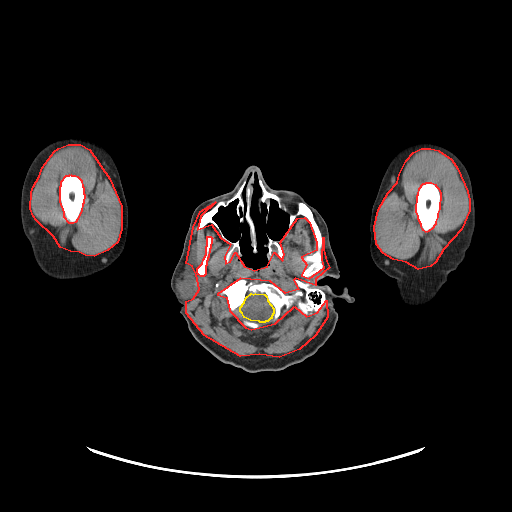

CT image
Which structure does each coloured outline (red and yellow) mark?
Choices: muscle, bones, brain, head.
red: muscle; yellow: brain.
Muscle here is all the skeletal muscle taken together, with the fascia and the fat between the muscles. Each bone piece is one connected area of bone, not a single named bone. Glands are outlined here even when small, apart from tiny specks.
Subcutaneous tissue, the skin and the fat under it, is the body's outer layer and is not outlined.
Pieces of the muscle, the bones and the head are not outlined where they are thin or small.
Outlined structures:
muscle 1: [[215,202],[200,216],[197,229],[211,224],[220,237],[230,244],[224,256],[225,263],[230,261],[235,252],[244,266],[254,270],[267,266],[274,252],[282,260],[284,254],[280,242],[297,218],[304,217],[309,222],[316,242],[316,250],[301,257],[306,264],[301,275],[309,278],[324,267],[322,259],[323,237],[323,249],[326,261],[329,267],[315,279],[315,285],[295,278],[293,280],[298,289],[285,293],[270,281],[240,278],[217,294],[226,297],[229,310],[245,327],[251,329],[275,323],[294,306],[306,316],[317,312],[326,300],[327,317],[315,335],[299,349],[279,357],[259,354],[240,356],[204,335],[186,313],[186,301],[193,298],[199,289],[196,274],[192,266],[186,263],[193,227],[200,211]] with a hole at [[207,236],[210,236],[212,238],[211,239],[210,248],[209,249],[208,257],[207,258],[207,260],[206,261],[206,265],[205,266],[205,274],[203,276],[201,276],[198,274],[197,272],[197,268],[202,263],[203,259],[206,254],[206,246],[207,245]]
muscle 2: [[421,148],[430,148],[438,150],[451,159],[457,168],[467,191],[469,200],[469,210],[461,229],[443,249],[435,262],[430,266],[418,269],[406,262],[393,259],[383,253],[376,244],[374,227],[378,209],[388,192],[397,182],[399,174],[406,160],[413,152]] with a hole at [[426,182],[431,182],[435,184],[435,185],[438,188],[440,193],[439,209],[437,213],[437,217],[435,221],[435,224],[431,229],[426,232],[423,230],[421,226],[421,224],[418,219],[418,216],[416,211],[417,195],[418,194],[419,188],[423,183],[425,183]]
muscle 3: [[68,144],[80,144],[89,149],[109,178],[121,206],[121,229],[117,242],[107,250],[94,256],[85,255],[79,252],[70,251],[60,247],[53,236],[36,220],[33,216],[30,208],[31,192],[33,186],[39,176],[42,167],[54,151],[58,148]]; inner edge: [[70,174],[71,175],[75,175],[77,176],[81,180],[82,186],[83,187],[83,193],[84,194],[83,203],[82,204],[81,210],[77,219],[75,222],[73,223],[69,223],[64,217],[64,212],[60,201],[60,186],[61,185],[61,181],[66,175],[69,175]]
brain: [[251,293],[253,294],[255,293],[264,294],[266,296],[267,300],[273,308],[273,313],[271,316],[271,318],[270,318],[267,321],[265,321],[264,322],[260,322],[259,321],[250,320],[244,317],[242,313],[240,311],[240,307],[244,302],[246,297]]
right arm: [[67,136],[80,136],[93,140],[101,145],[110,154],[117,167],[125,195],[128,209],[128,225],[123,251],[109,266],[86,277],[77,279],[54,279],[46,275],[40,269],[34,259],[30,243],[22,229],[20,202],[24,178],[35,156],[42,148],[52,141]]
head: [[253,164],[272,189],[292,190],[319,212],[328,228],[339,276],[325,276],[317,283],[337,294],[346,286],[354,298],[353,302],[340,297],[333,300],[338,314],[335,328],[313,355],[277,371],[248,372],[212,355],[190,333],[170,285],[194,209],[230,191]] with holes at [[256,173],[261,191],[256,207],[260,214],[265,205],[264,222],[271,200],[288,216],[281,239],[265,233],[268,264],[258,269],[244,265],[240,240],[228,239],[213,219],[221,207],[236,200],[238,221],[241,225],[246,221],[252,251],[258,251],[251,216]] and at [[250,173],[250,176],[249,177],[248,180],[246,182],[246,184],[245,185],[245,202],[244,201],[244,199],[243,198],[242,195],[243,194],[243,191],[244,190],[244,186],[246,183],[246,181],[248,179],[248,178],[249,177],[249,174]]
bones 1: [[250,172],[258,172],[290,208],[303,202],[311,210],[322,236],[323,267],[317,273],[302,275],[307,266],[302,257],[317,250],[310,222],[297,217],[286,235],[289,216],[271,199],[266,223],[266,205],[260,213],[257,207],[262,191],[256,172],[250,205],[255,253],[236,199],[212,219],[228,240],[239,240],[241,256],[235,251],[225,262],[231,244],[211,223],[198,229],[201,216],[230,198],[248,174],[241,195],[246,202]]
bones 2: [[240,279],[270,282],[285,294],[292,294],[299,289],[295,279],[309,282],[311,286],[318,286],[323,290],[325,303],[317,311],[306,315],[294,305],[275,322],[269,322],[258,328],[247,327],[230,310],[227,305],[227,297],[224,294],[218,295],[222,289]] with a hole at [[251,293],[253,294],[255,293],[264,294],[266,296],[267,300],[273,308],[273,313],[271,316],[271,318],[270,318],[267,321],[265,321],[264,322],[260,322],[259,321],[250,320],[244,317],[242,313],[240,311],[240,307],[244,302],[246,297]]
bones 3: [[426,182],[431,182],[435,184],[435,185],[438,188],[440,193],[439,209],[437,213],[437,217],[435,221],[435,224],[431,229],[426,232],[423,230],[421,226],[421,224],[418,219],[418,216],[416,211],[417,195],[418,194],[419,188],[423,183],[425,183]]
bones 4: [[70,174],[71,175],[75,175],[77,176],[81,180],[82,186],[83,187],[83,193],[84,194],[83,203],[82,204],[81,210],[77,219],[75,222],[73,223],[69,223],[64,217],[64,212],[60,201],[60,186],[61,185],[61,181],[66,175],[69,175]]
bones 5: [[266,233],[267,235],[273,240],[275,240],[276,241],[281,240],[279,242],[282,248],[282,253],[283,254],[283,258],[282,259],[281,259],[277,253],[274,251],[272,254],[271,260],[269,262],[267,257],[268,248],[266,246],[264,246],[268,241]]
bones 6: [[207,236],[210,236],[212,238],[211,239],[210,248],[209,249],[208,257],[207,258],[207,260],[206,261],[206,265],[205,266],[205,274],[203,276],[201,276],[198,274],[197,272],[197,268],[202,263],[203,259],[206,254],[206,246],[207,245]]
parotid glands: [[186,264],[189,264],[191,266],[193,270],[193,272],[195,274],[196,279],[198,282],[198,289],[197,290],[196,294],[193,297],[190,299],[184,300],[184,299],[180,297],[178,294],[175,288],[175,282],[176,281],[176,279],[184,270],[184,268]]
left arm: [[417,142],[430,142],[441,145],[453,152],[463,163],[468,172],[472,186],[475,227],[464,260],[455,270],[449,273],[447,281],[437,294],[423,305],[410,306],[400,299],[395,280],[379,269],[371,258],[369,247],[369,223],[372,206],[388,164],[400,150]]